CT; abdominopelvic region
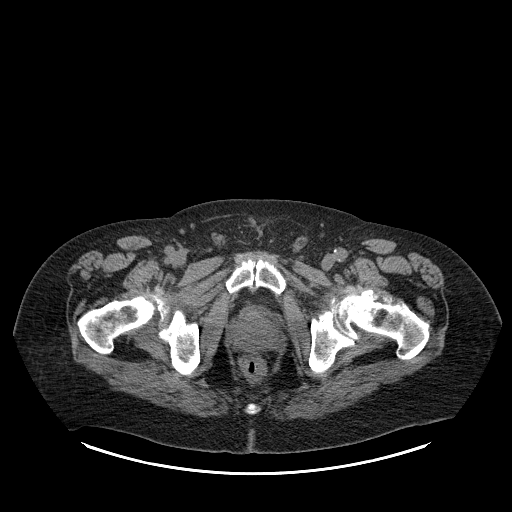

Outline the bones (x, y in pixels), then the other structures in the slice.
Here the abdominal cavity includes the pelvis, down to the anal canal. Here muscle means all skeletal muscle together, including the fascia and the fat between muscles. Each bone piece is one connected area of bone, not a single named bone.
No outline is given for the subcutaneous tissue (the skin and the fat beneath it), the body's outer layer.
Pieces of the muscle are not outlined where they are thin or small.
Outlines:
bones 1: 369,288 383,290 396,300 404,302 429,323 429,338 424,347 413,357 400,359 396,356 397,344 392,338 367,332 363,333 353,346 340,349 336,353 335,361 327,370 314,372 308,364 311,318 327,310 331,298
bones 2: 143,294 158,295 172,311 179,309 188,322 198,324 200,361 190,375 183,375 172,367 169,345 156,337 157,319 154,316 145,324 116,337 114,349 109,354 94,350 81,335 77,320 86,311 112,300 129,299
bones 3: 249,258 255,261 259,258 262,258 274,262 277,268 286,279 286,287 285,289 278,295 275,295 268,288 261,286 252,290 248,287 243,287 235,293 230,293 225,286 225,281 231,274 234,268 241,260 246,260
bones 4: 249,402 253,402 254,403 255,403 257,405 258,405 260,407 261,407 261,410 258,413 257,413 256,414 247,414 246,413 245,413 243,411 243,409 245,407 245,406
abdominal cavity: 260,287 268,289 276,296 283,313 285,333 283,334 281,347 278,350 277,358 269,375 259,389 249,392 244,387 234,362 234,355 230,345 230,323 228,318 230,311 237,302 237,293 241,289 248,288 252,291
torso: 231,198 290,199 321,204 367,221 423,233 458,253 486,286 502,322 477,382 454,416 355,444 281,454 196,451 100,427 69,430 32,379 13,335 22,296 38,267 58,246 90,228 121,220 169,216 194,204
muscle: 128,235 174,239 199,254 215,256 227,256 248,250 265,250 288,257 329,250 346,240 360,238 392,240 429,258 443,274 448,326 445,329 441,354 411,374 382,385 352,405 315,419 272,418 263,412 259,413 262,407 253,401 249,401 242,409 246,414 202,417 157,405 123,391 111,390 103,380 73,359 65,315 70,295 66,276 74,260 85,252 with holes at 249,258 255,261 262,258 274,262 286,279 285,289 276,296 285,323 283,341 269,375 261,387 253,392 249,392 244,387 234,362 228,318 230,311 237,302 238,294 236,292 230,293 225,286 225,281 239,262 and at 369,288 383,290 396,300 404,302 429,323 429,338 424,347 413,357 400,359 396,356 397,344 392,338 367,332 363,333 353,346 340,349 336,353 335,361 327,370 314,372 308,364 311,318 327,310 331,298 and at 143,294 158,295 172,311 179,309 188,322 198,324 200,361 190,375 183,375 172,367 169,345 156,337 157,319 154,316 145,324 116,337 114,349 109,354 94,350 81,335 77,320 86,311 112,300 129,299